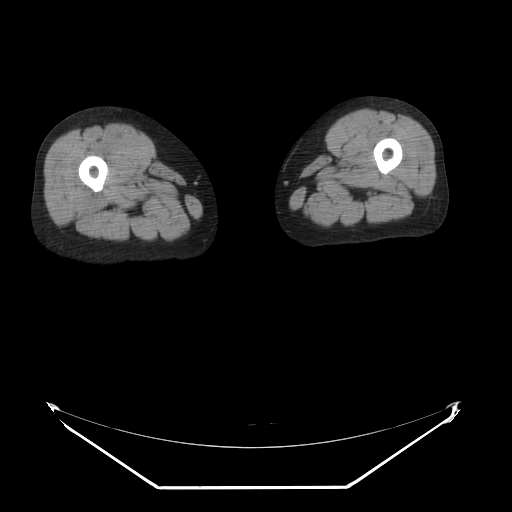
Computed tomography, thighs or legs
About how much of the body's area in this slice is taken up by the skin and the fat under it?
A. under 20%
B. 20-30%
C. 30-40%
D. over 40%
C. 30-40%
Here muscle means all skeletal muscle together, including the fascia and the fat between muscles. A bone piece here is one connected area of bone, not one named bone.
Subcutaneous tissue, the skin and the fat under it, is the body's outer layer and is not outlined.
right leg: 97 105; 129 107; 152 117; 175 134; 197 157; 211 182; 218 214; 215 238; 205 253; 195 259; 181 262; 170 260; 122 263; 98 267; 59 257; 46 250; 37 241; 30 221; 30 204; 35 159; 39 146; 49 130; 64 117; 80 109
bones 1: 88 155; 97 155; 98 156; 102 157; 106 162; 108 166; 108 173; 107 174; 107 176; 106 177; 103 188; 98 192; 95 192; 93 191; 88 186; 84 184; 82 182; 78 175; 78 167; 79 166; 79 164; 80 162; 86 156
bones 2: 386 137; 392 137; 396 139; 400 143; 401 145; 401 147; 402 148; 402 159; 400 163; 395 168; 394 168; 388 173; 386 174; 383 174; 381 173; 377 168; 376 163; 373 157; 373 149; 374 148; 374 146; 379 140; 383 138; 385 138
muscle 1: 115 121; 126 122; 148 132; 155 140; 161 157; 181 170; 196 186; 202 196; 205 205; 204 218; 196 231; 184 242; 170 244; 105 243; 95 239; 84 238; 60 232; 49 217; 42 193; 44 184; 43 164; 50 145; 58 136; 78 126, around a hole outlined by 88 155; 97 155; 98 156; 102 157; 106 162; 108 166; 108 173; 107 174; 107 176; 106 177; 103 188; 98 192; 95 192; 93 191; 88 186; 84 184; 82 182; 78 175; 78 167; 79 166; 79 164; 80 162; 86 156
muscle 2: 363 107; 381 108; 409 115; 417 120; 430 134; 435 147; 436 182; 429 208; 422 215; 400 224; 352 231; 322 230; 294 218; 294 216; 288 209; 287 199; 292 182; 300 168; 308 158; 320 151; 324 136; 330 125; 336 119; 350 111 with a hole at 386 137; 392 137; 396 139; 400 143; 401 145; 401 147; 402 148; 402 159; 400 163; 395 168; 394 168; 388 173; 386 174; 383 174; 381 173; 377 168; 376 163; 373 157; 373 149; 374 148; 374 146; 379 140; 383 138; 385 138
left leg: 363 95; 388 96; 404 100; 418 108; 434 124; 443 145; 444 161; 449 187; 449 204; 446 217; 442 225; 435 232; 422 237; 391 238; 359 244; 304 247; 290 239; 278 223; 274 208; 274 189; 278 172; 292 145; 320 115; 341 101